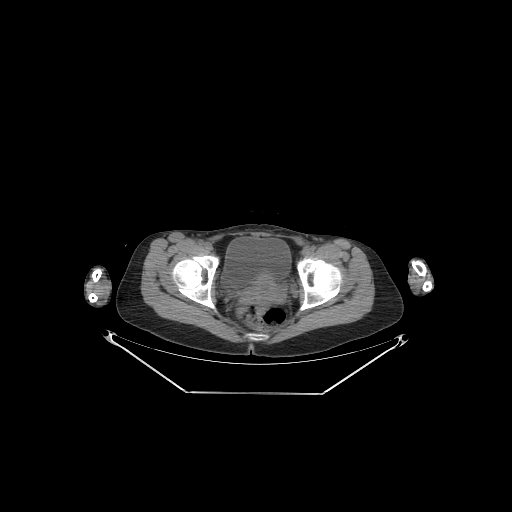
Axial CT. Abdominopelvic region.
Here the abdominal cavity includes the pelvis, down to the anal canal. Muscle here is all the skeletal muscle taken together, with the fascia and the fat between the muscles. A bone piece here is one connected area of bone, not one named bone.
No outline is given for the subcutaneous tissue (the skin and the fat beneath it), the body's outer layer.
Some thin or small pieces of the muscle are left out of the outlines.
Outlined structures:
torso: [[246,223],[267,223],[305,233],[344,236],[369,246],[382,260],[402,296],[404,310],[401,318],[390,327],[327,351],[281,358],[251,354],[224,355],[200,351],[163,340],[128,324],[117,313],[116,292],[129,259],[142,239],[152,233],[164,230],[212,230]]
right arm: [[94,264],[101,264],[105,266],[109,273],[109,275],[111,279],[111,282],[112,283],[112,290],[111,291],[111,298],[110,299],[110,301],[106,305],[100,308],[95,308],[90,306],[85,301],[83,296],[83,283],[84,282],[84,277],[88,269]]
bones 1: [[195,255],[217,255],[219,257],[219,264],[216,268],[216,271],[214,274],[214,277],[211,284],[211,299],[212,302],[216,307],[216,311],[208,306],[198,303],[190,299],[181,293],[179,291],[172,278],[171,272],[174,265],[178,261],[184,258],[189,258]]
bones 2: [[304,257],[322,259],[337,266],[339,268],[342,275],[342,282],[340,285],[340,289],[338,293],[335,296],[321,304],[310,308],[307,308],[302,311],[299,311],[298,309],[304,298],[304,291],[299,279],[299,275],[296,267],[296,262],[299,259],[301,259]]
bones 3: [[412,260],[420,260],[421,261],[422,261],[425,264],[425,265],[426,266],[426,267],[427,268],[427,271],[426,272],[426,274],[425,275],[425,276],[420,276],[413,269],[413,268],[412,267],[412,265],[411,264],[411,261]]
bones 4: [[248,332],[260,332],[261,333],[264,333],[265,334],[268,334],[269,335],[269,337],[267,339],[266,339],[265,340],[264,340],[263,341],[254,341],[253,340],[249,340],[246,337],[245,337],[244,336],[244,335],[246,333],[247,333]]
bones 5: [[95,268],[100,268],[101,269],[101,275],[100,276],[100,277],[99,278],[99,279],[96,282],[95,282],[94,281],[93,281],[93,279],[92,278],[92,277],[91,276],[91,273],[93,271],[93,270]]
bones 6: [[426,280],[431,280],[431,281],[432,282],[432,288],[431,289],[431,290],[430,290],[429,291],[424,291],[422,289],[422,286],[423,285],[423,283]]
bones 7: [[90,293],[94,293],[97,296],[97,300],[95,302],[90,302],[89,301],[89,300],[88,299],[88,295]]
abdominal cavity: [[246,234],[253,236],[273,236],[285,238],[292,240],[296,245],[301,247],[298,252],[299,258],[295,262],[298,275],[297,297],[299,306],[286,323],[272,329],[248,331],[230,317],[225,315],[217,305],[217,268],[220,264],[220,257],[213,245],[224,237]]
left arm: [[413,256],[420,256],[425,259],[427,264],[431,270],[432,275],[434,278],[434,286],[433,288],[430,290],[427,294],[421,297],[415,296],[411,293],[407,282],[407,274],[408,273],[408,268],[407,267],[407,265],[408,264],[408,261],[410,258]]
muscle 1: [[247,229],[299,236],[315,244],[344,239],[356,245],[365,253],[373,273],[375,295],[372,309],[351,323],[314,329],[276,343],[254,342],[252,345],[231,342],[194,325],[158,316],[143,301],[140,291],[143,261],[154,239],[172,232],[207,238]], around a hole outlined by [[246,234],[292,240],[301,247],[300,259],[337,266],[342,275],[338,293],[316,306],[297,308],[283,325],[262,330],[267,339],[249,340],[244,336],[248,331],[217,305],[217,270],[211,284],[216,311],[181,293],[171,274],[178,261],[216,255],[214,243]]
muscle 2: [[102,270],[108,282],[108,295],[107,297],[102,302],[100,303],[96,303],[96,302],[98,300],[98,296],[94,292],[90,292],[87,295],[87,296],[87,293],[86,292],[86,284],[89,280],[90,275],[92,279],[92,281],[96,283],[100,279],[102,275]]
muscle 3: [[412,268],[412,269],[420,277],[425,277],[428,271],[430,275],[430,277],[431,279],[426,279],[422,283],[422,285],[421,286],[421,290],[420,291],[418,291],[414,287],[414,284],[412,282],[412,280],[411,279],[411,270]]